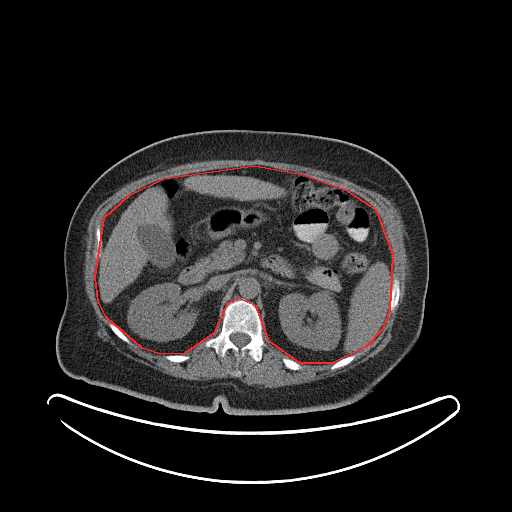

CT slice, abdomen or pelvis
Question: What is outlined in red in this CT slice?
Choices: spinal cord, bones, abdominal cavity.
Answer: red: abdominal cavity.
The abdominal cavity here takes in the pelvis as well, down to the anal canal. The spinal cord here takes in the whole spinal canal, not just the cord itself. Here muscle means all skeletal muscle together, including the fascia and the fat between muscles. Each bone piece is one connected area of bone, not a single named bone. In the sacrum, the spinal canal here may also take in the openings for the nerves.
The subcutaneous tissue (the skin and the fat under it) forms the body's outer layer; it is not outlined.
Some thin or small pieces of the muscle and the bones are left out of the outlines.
Outlines:
abdominal cavity: [[254,165],[303,174],[345,189],[375,209],[392,254],[389,310],[381,330],[365,347],[332,363],[300,363],[269,341],[256,306],[238,298],[226,304],[213,333],[184,353],[160,354],[142,348],[106,317],[98,301],[95,277],[104,217],[130,194],[163,178]]
spinal cord: [[233,333],[243,333],[244,334],[246,334],[247,335],[248,335],[249,336],[249,337],[250,338],[250,340],[246,344],[245,344],[244,345],[243,345],[242,346],[241,346],[240,347],[239,347],[238,346],[237,346],[230,339],[230,335],[231,334],[232,334]]
torso: [[229,129],[295,132],[361,146],[391,163],[419,203],[429,249],[429,279],[419,338],[404,360],[357,401],[278,415],[232,415],[221,405],[212,413],[186,411],[75,379],[59,364],[56,334],[66,299],[64,242],[84,193],[112,165],[154,142],[192,132]]
muscle 1: [[212,159],[241,159],[242,160],[261,159],[265,161],[284,162],[312,167],[343,177],[358,185],[377,191],[394,203],[394,205],[398,209],[401,215],[406,233],[404,237],[404,244],[409,263],[409,271],[405,282],[403,302],[400,306],[399,313],[392,327],[391,339],[381,351],[354,368],[334,376],[302,384],[273,388],[260,388],[256,385],[245,384],[237,378],[231,377],[214,378],[208,381],[195,381],[177,378],[127,357],[118,351],[113,345],[107,341],[102,340],[96,335],[96,331],[98,327],[96,314],[86,294],[84,282],[84,258],[86,248],[85,237],[87,234],[88,224],[93,213],[104,200],[113,194],[116,190],[131,181],[153,172],[161,171],[175,165]], around a hole outlined by [[254,165],[303,174],[345,189],[371,205],[381,219],[391,247],[391,278],[399,281],[398,304],[387,312],[373,341],[342,367],[332,370],[332,363],[301,363],[300,369],[287,368],[282,358],[289,356],[269,341],[263,322],[265,346],[259,361],[246,353],[238,360],[231,349],[221,357],[205,345],[206,338],[182,354],[189,359],[173,362],[164,354],[118,337],[100,307],[95,231],[110,209],[166,177]]
muscle 2: [[220,318],[221,319],[221,324],[220,325],[220,330],[219,331],[219,332],[215,336],[214,336],[213,337],[211,337],[210,338],[208,338],[209,338],[214,333],[214,332],[215,331],[215,330],[217,327],[217,325],[218,324],[218,322],[219,321]]
bones 1: [[238,299],[251,302],[259,313],[262,324],[262,338],[265,343],[261,359],[259,361],[256,361],[246,353],[238,360],[231,349],[227,350],[224,356],[221,357],[212,347],[207,347],[205,345],[205,342],[208,339],[215,337],[220,332],[222,317],[227,304]], around a hole outlined by [[233,333],[243,333],[244,334],[246,334],[247,335],[248,335],[249,336],[249,337],[250,338],[250,340],[246,344],[245,344],[244,345],[243,345],[242,346],[241,346],[240,347],[239,347],[238,346],[237,346],[230,339],[230,335],[231,334],[232,334]]
bones 2: [[393,277],[396,277],[398,279],[398,280],[399,281],[399,297],[398,298],[398,304],[397,305],[397,306],[396,307],[396,308],[393,311],[390,311],[390,310],[389,309],[389,307],[390,306],[390,298],[391,297],[391,290],[392,289],[392,279],[393,278]]
bones 3: [[97,224],[100,224],[100,225],[101,226],[101,241],[102,242],[102,246],[101,247],[101,254],[100,255],[100,256],[98,258],[96,258],[94,256],[94,255],[93,254],[93,251],[96,248],[96,236],[95,235],[95,231],[96,230],[96,226],[97,225]]
bones 4: [[353,354],[355,354],[356,355],[355,356],[355,358],[348,364],[342,367],[340,367],[339,368],[337,368],[333,370],[332,370],[330,368],[331,366],[335,362],[338,361],[342,358],[344,358],[347,356],[349,356]]
bones 5: [[284,357],[286,357],[287,358],[290,358],[291,359],[292,359],[293,360],[298,362],[301,365],[301,366],[302,367],[300,369],[297,369],[296,370],[293,370],[292,369],[289,369],[288,368],[287,368],[285,366],[284,363],[282,361],[282,358],[283,358]]
bones 6: [[109,322],[111,322],[112,323],[113,323],[130,340],[130,343],[127,343],[126,342],[125,342],[123,340],[122,340],[119,337],[118,337],[112,331],[112,330],[110,328],[110,327],[109,326]]
bones 7: [[174,354],[182,354],[183,355],[187,355],[188,356],[189,356],[189,359],[188,359],[187,360],[186,360],[185,361],[184,361],[183,362],[173,362],[172,361],[170,361],[169,360],[168,360],[166,358],[165,358],[165,355],[173,355]]